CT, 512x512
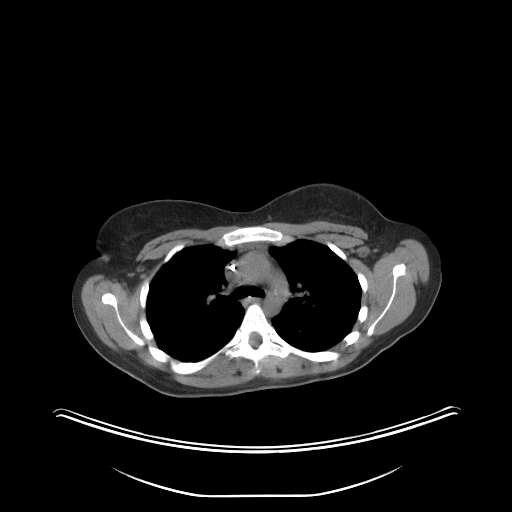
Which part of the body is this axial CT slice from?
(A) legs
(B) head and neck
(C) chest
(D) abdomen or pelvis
Answer: (C) chest
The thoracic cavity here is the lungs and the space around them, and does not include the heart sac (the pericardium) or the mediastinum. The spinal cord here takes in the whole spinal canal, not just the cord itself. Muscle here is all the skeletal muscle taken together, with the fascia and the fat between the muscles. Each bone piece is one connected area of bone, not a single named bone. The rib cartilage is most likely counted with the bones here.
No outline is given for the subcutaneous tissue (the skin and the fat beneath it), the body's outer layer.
The bones appear in 10 outlined pieces: piece 1: 254,303 286,342 309,352 337,351 335,361 315,362 293,353 284,358 268,355 259,361 256,374 252,360 230,359 222,353 200,370 179,374 168,362 155,361 147,348 149,343 182,362 202,360 232,338 245,310; inner edge: 253,332 255,332 256,333 257,333 260,336 260,337 261,338 261,342 259,344 259,345 257,347 256,347 255,348 254,348 249,343 249,338 250,337 250,335; piece 2: 255,225 259,225 271,229 278,230 286,235 292,236 295,239 286,244 281,244 280,245 279,244 276,244 271,241 249,241 248,242 243,242 225,247 220,247 214,244 214,242 226,232 234,230 239,227 254,226; piece 3: 107,292 112,293 116,297 118,311 122,320 126,326 137,336 142,339 144,338 139,320 142,316 146,317 154,336 153,340 145,339 145,344 142,346 133,341 119,323 115,309 110,304 105,304 102,302 101,297; piece 4: 399,263 403,263 405,265 405,273 403,275 399,276 396,279 395,294 388,309 375,325 373,330 373,333 370,336 367,336 366,335 366,332 369,326 381,313 389,299 392,291 392,284 393,283 392,269 396,264; piece 5: 146,279 148,279 149,280 149,289 148,290 148,293 147,294 147,297 146,298 146,304 145,305 145,308 143,309 141,307 141,304 140,303 140,300 139,299 139,295 140,294 140,289 141,288 142,283 144,280; piece 6: 354,329 356,329 357,330 358,330 360,332 360,336 358,338 357,341 355,343 352,343 351,344 350,344 347,346 345,346 344,345 344,344 342,342 341,342 341,340 348,333 349,333 352,330 353,330; piece 7: 182,242 184,242 185,243 185,246 182,249 181,249 179,251 178,251 177,252 176,252 165,263 162,263 162,261 163,260 163,259 165,257 165,256 167,254 167,253 175,245 176,245 179,243 181,243; piece 8: 327,241 329,241 330,242 333,243 336,246 337,246 341,250 342,250 342,251 346,256 346,257 347,258 347,260 346,261 343,260 339,256 338,256 334,252 333,252 325,244 325,243; piece 9: 358,271 359,272 361,272 365,276 366,278 366,280 367,281 367,289 365,293 363,294 362,293 362,290 361,289 361,287 360,286 360,284 359,283 359,281 358,280 358,278 356,274 356,272; piece 10: 361,304 364,304 367,306 367,316 366,317 366,318 364,321 363,321 362,322 358,322 357,321 356,321 357,320 357,316 358,315 358,312 360,309 360,307 361,306. The thoracic cavity appears in 2 outlined pieces: piece 1: 208,243 213,243 222,249 235,252 234,257 225,264 223,273 227,281 227,292 229,294 235,293 235,299 243,307 244,314 231,338 221,347 202,359 182,361 157,346 146,316 150,283 162,265 176,253 188,246; piece 2: 296,239 307,239 325,245 347,263 355,273 361,290 360,306 351,330 340,341 328,349 309,351 299,348 286,341 271,323 272,318 281,311 294,295 290,289 285,272 278,261 271,255 270,248 273,246 284,246. The mediastinum is outlined by 249,242 271,242 276,245 280,246 284,245 273,245 271,246 269,253 284,272 289,289 293,295 270,321 258,303 251,303 245,309 236,299 236,293 233,291 228,292 228,281 224,270 226,264 235,257 236,252 222,248. The spinal cord is outlined by 253,332 255,332 256,333 257,333 260,336 260,337 261,338 261,342 259,344 259,345 257,347 256,347 255,348 254,348 249,343 249,338 250,337 250,335. The muscle is outlined by 315,220 363,229 368,235 365,262 369,266 405,238 419,241 429,260 426,289 412,312 337,370 280,380 255,377 244,384 222,388 190,386 121,357 98,337 85,313 81,301 85,280 103,274 124,281 132,288 153,264 151,260 136,260 151,239 184,228 243,226 224,232 213,242 187,246 184,241 179,242 166,253 150,282 148,278 144,279 139,289 140,307 145,309 145,315 138,320 143,338 127,326 112,292 104,292 101,302 114,309 118,323 136,345 142,347 145,340 154,340 156,345 149,342 146,345 152,359 168,363 171,371 179,375 200,371 222,354 230,360 241,357 252,361 256,375 261,372 260,361 268,356 284,359 293,354 315,363 335,362 341,354 329,349 339,342 345,347 355,344 361,336 361,332 352,327 368,316 368,306 361,303 361,296 368,289 366,276 361,271 355,272 343,250 329,240 324,244 296,238 260,225 with a hole at 399,263 403,263 405,265 405,273 403,275 399,276 396,279 395,294 388,309 375,325 373,330 373,333 370,336 367,336 366,335 366,332 369,326 381,313 389,299 392,291 392,284 393,283 392,269 396,264. The torso is outlined by 314,182 333,182 356,190 386,217 422,229 440,254 442,281 429,313 369,363 340,377 295,387 180,398 159,393 114,367 85,339 72,312 72,286 80,269 98,255 94,238 111,214 131,204 162,198 249,211.